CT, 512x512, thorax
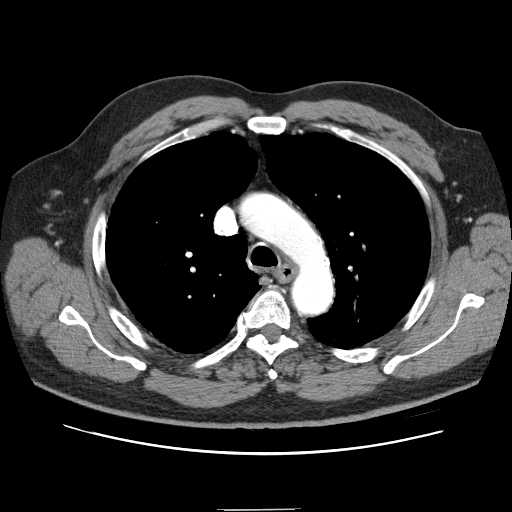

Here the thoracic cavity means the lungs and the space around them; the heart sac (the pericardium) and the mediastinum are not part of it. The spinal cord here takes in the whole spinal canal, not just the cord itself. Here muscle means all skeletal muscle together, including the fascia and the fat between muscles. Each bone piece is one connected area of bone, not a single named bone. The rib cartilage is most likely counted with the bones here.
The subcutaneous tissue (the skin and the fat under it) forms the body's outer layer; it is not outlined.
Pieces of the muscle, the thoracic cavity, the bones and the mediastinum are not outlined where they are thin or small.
torso: [[182,74],[222,77],[268,92],[327,80],[375,82],[410,94],[456,126],[481,133],[510,220],[511,281],[499,339],[475,385],[429,403],[349,423],[211,429],[104,413],[34,384],[12,335],[0,273],[2,221],[12,176],[31,160],[73,140],[120,93]]
thoracic cavity 1: [[229,128],[240,131],[254,151],[256,169],[245,189],[216,210],[212,228],[220,237],[243,236],[246,265],[256,275],[259,289],[237,316],[235,332],[229,339],[204,355],[180,353],[143,332],[126,315],[107,269],[108,217],[118,192],[137,166],[171,146]]
thoracic cavity 2: [[296,130],[329,132],[375,152],[409,180],[425,206],[431,237],[426,278],[401,320],[371,346],[327,346],[300,328],[307,330],[309,318],[325,314],[332,307],[336,295],[336,280],[326,244],[316,224],[291,197],[277,187],[268,173],[260,136],[279,135]]
bones 1: [[273,287],[282,294],[290,310],[292,320],[304,333],[310,336],[306,343],[297,348],[284,350],[271,365],[260,354],[246,347],[243,342],[235,351],[217,363],[201,368],[190,366],[191,362],[229,340],[236,332],[238,316],[247,309],[250,300],[256,294]], around a hole outlined by [[267,324],[275,324],[277,326],[278,326],[281,329],[281,333],[280,334],[280,335],[278,337],[278,338],[275,341],[274,341],[273,342],[269,342],[269,341],[265,337],[265,336],[260,332],[260,329],[262,327],[263,327],[265,325],[266,325]]
bones 2: [[316,122],[331,122],[343,127],[350,128],[362,135],[373,139],[376,142],[397,155],[421,179],[429,196],[430,207],[426,208],[418,190],[410,180],[395,165],[383,156],[371,149],[337,136],[328,130],[325,130],[322,128],[318,128],[314,126],[312,124]]
bones 3: [[215,117],[222,117],[228,119],[230,121],[229,124],[211,130],[208,133],[201,135],[198,137],[189,140],[186,140],[171,145],[164,149],[162,149],[160,151],[150,156],[135,167],[135,165],[139,158],[147,150],[150,149],[162,140],[185,127]]
bones 4: [[468,292],[482,296],[484,298],[482,305],[479,307],[468,306],[464,308],[460,313],[455,327],[443,339],[423,352],[401,361],[391,373],[387,374],[383,372],[382,368],[384,364],[395,355],[412,353],[427,345],[441,335],[452,324],[460,301],[462,297]]
bones 5: [[66,305],[72,306],[80,314],[89,325],[94,337],[105,348],[118,355],[131,355],[143,361],[146,364],[146,368],[144,370],[139,370],[126,361],[118,360],[109,356],[95,345],[83,326],[79,324],[68,325],[60,321],[58,316],[61,310]]
bones 6: [[108,304],[115,306],[134,324],[135,324],[143,333],[145,333],[151,336],[158,342],[158,343],[152,343],[151,344],[151,346],[153,349],[152,351],[145,350],[141,347],[136,345],[120,331],[120,330],[113,322],[108,313],[108,310],[107,309],[107,305]]
bones 7: [[102,210],[105,211],[107,216],[107,222],[105,230],[105,262],[106,263],[106,269],[109,276],[107,275],[104,270],[102,272],[102,278],[100,279],[96,273],[92,257],[92,235],[96,219],[99,213]]
bones 8: [[431,275],[433,275],[435,277],[436,279],[436,283],[435,284],[434,291],[425,309],[415,321],[415,322],[407,330],[405,331],[401,331],[400,330],[400,328],[403,323],[402,319],[409,311],[413,305],[415,300],[420,293],[421,289],[423,287],[426,279]]
bones 9: [[263,115],[275,115],[276,116],[281,116],[285,118],[286,120],[286,128],[285,130],[283,132],[279,134],[264,134],[263,133],[256,133],[248,129],[246,127],[246,121],[248,118],[252,116],[262,116]]
bones 10: [[372,346],[379,346],[380,347],[380,353],[375,358],[369,361],[360,362],[359,363],[353,363],[352,362],[348,362],[347,361],[342,360],[334,356],[331,354],[329,351],[328,351],[328,348],[329,347],[339,348],[340,349],[352,349],[353,348],[371,347]]
muscle: [[199,95],[238,97],[267,114],[248,117],[240,130],[219,128],[231,121],[215,116],[172,133],[138,158],[108,216],[98,213],[93,266],[100,280],[104,271],[109,277],[125,314],[110,303],[107,313],[133,344],[202,354],[189,363],[201,369],[243,343],[271,366],[311,338],[359,364],[381,353],[374,342],[399,322],[401,332],[416,322],[437,283],[427,277],[431,202],[422,179],[350,127],[316,121],[324,130],[285,131],[286,118],[272,114],[292,101],[336,98],[416,130],[465,204],[510,220],[511,281],[495,345],[448,370],[369,395],[313,401],[280,394],[269,383],[253,396],[203,408],[74,373],[24,340],[5,287],[16,239],[70,205],[124,134],[161,108]] with holes at [[468,292],[482,296],[484,298],[482,305],[479,307],[468,306],[464,308],[460,313],[455,327],[443,339],[423,352],[401,361],[391,373],[387,374],[383,372],[382,368],[384,364],[395,355],[412,353],[427,345],[441,335],[452,324],[460,301],[462,297]] and at [[66,305],[72,306],[80,314],[89,325],[94,337],[105,348],[118,355],[131,355],[143,361],[146,364],[146,368],[144,370],[139,370],[126,361],[118,360],[109,356],[95,345],[83,326],[79,324],[68,325],[60,321],[58,316],[61,310]] and at [[270,367],[271,367],[273,369],[274,369],[276,371],[276,372],[277,373],[277,377],[276,378],[275,378],[274,379],[271,379],[268,376],[268,375],[267,374],[267,372],[268,371],[268,370],[270,368]]
mediastinum: [[244,128],[261,134],[259,143],[271,181],[307,214],[327,250],[335,280],[333,304],[325,313],[309,317],[307,329],[293,320],[275,287],[257,293],[260,288],[247,265],[244,236],[220,236],[213,228],[217,210],[246,189],[257,169],[257,155],[241,135]]
spinal cord: [[267,324],[275,324],[277,326],[278,326],[281,329],[281,333],[280,334],[280,335],[278,337],[278,338],[275,341],[274,341],[273,342],[269,342],[269,341],[265,337],[265,336],[260,332],[260,329],[262,327],[263,327],[265,325],[266,325]]